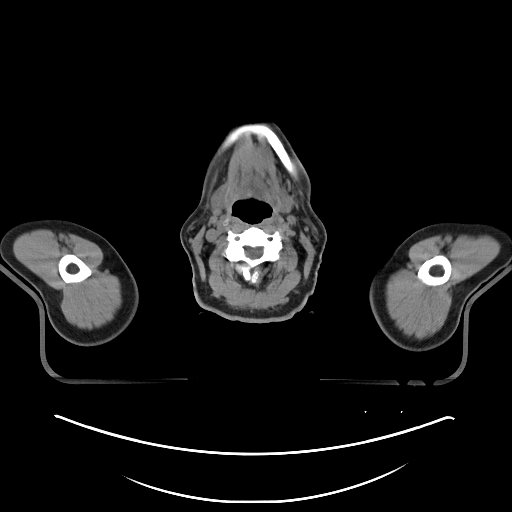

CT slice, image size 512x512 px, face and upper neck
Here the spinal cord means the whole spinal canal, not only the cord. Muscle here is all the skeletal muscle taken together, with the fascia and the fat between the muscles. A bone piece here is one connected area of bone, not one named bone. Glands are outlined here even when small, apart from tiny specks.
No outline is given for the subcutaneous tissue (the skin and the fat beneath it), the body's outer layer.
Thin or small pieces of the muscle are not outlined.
The left arm is outlined by 441,221 479,221 492,223 501,227 511,236 511,261 492,278 479,285 478,288 471,293 463,304 462,313 455,332 446,342 436,348 423,352 402,349 392,343 376,323 368,301 369,285 380,265 404,239 424,226. The submandibular glands appear in 2 outlined pieces: piece 1: 224,183 226,183 229,186 229,193 228,194 228,201 227,202 226,205 225,205 223,207 222,207 221,208 221,209 218,209 217,210 212,209 212,208 210,205 210,197 211,196 212,193 218,188 219,188; piece 2: 282,186 283,187 283,188 287,192 287,193 290,196 290,197 292,199 292,208 291,209 291,210 288,212 283,212 282,211 279,211 277,209 277,200 278,199 278,197 279,196 279,193 280,192 280,189. The head and neck is outlined by 250,118 268,119 281,128 309,176 312,186 311,205 327,233 313,293 304,306 290,319 265,324 245,323 223,318 203,309 197,303 192,285 191,266 179,236 183,222 200,199 202,179 210,156 230,126 240,120 with a hole at 242,200 256,200 259,202 263,202 270,206 271,208 271,213 269,216 267,217 264,217 263,219 255,223 250,223 247,221 244,221 242,219 241,219 236,215 234,215 232,213 232,206 235,203 235,202 241,201. The right arm is outlined by 48,218 63,219 75,222 100,234 117,250 131,270 139,291 139,304 131,323 114,339 100,345 93,346 79,345 66,340 57,333 50,323 43,299 39,293 14,270 12,270 0,257 0,239 6,231 21,222. The bones appear in 4 outlined pieces: piece 1: 253,224 268,233 278,230 282,237 282,248 279,252 279,258 275,261 267,261 260,264 258,266 259,275 254,283 245,280 242,273 237,269 239,261 230,261 223,255 227,244 227,231 231,230 234,233 240,233; inner edge: 245,246 248,246 249,247 251,247 252,248 254,248 255,247 262,247 262,254 259,257 258,257 257,258 250,258 248,256 247,256 246,255 246,254 245,253 245,250 244,249 244,247; piece 2: 246,123 263,123 270,127 276,133 282,142 290,157 291,161 294,165 295,168 295,177 290,175 282,164 272,147 264,137 258,137 255,134 252,133 249,135 242,135 227,148 220,150 221,145 226,136 236,127; piece 3: 436,255 444,255 446,257 447,257 451,264 451,267 452,269 451,270 450,276 448,280 446,282 442,284 440,284 439,285 431,286 430,285 427,285 423,283 417,277 417,272 418,271 419,267 423,262; piece 4: 67,253 74,254 77,257 82,260 90,268 90,269 92,271 91,274 88,277 87,277 80,282 71,282 70,283 66,283 62,279 59,273 59,270 58,269 58,262 59,261 59,259 64,254 66,254. The spinal cord is outlined by 245,246 248,246 249,247 251,247 252,248 254,248 255,247 262,247 262,254 259,257 258,257 257,258 250,258 248,256 247,256 246,255 246,254 245,253 245,250 244,249 244,247. The muscle appears in 3 outlined pieces: piece 1: 252,134 266,140 283,167 293,178 296,177 296,168 290,155 294,159 301,175 307,215 317,228 319,241 308,278 300,292 280,309 251,312 233,309 208,296 200,279 186,231 202,213 219,152 227,149 240,137, around a hole outlined by 242,200 256,200 269,205 270,215 253,224 268,233 278,230 282,237 279,258 260,264 259,275 254,283 245,280 237,269 239,261 230,261 223,255 227,244 227,231 240,233 253,224 232,213 232,206 235,202; piece 2: 441,233 487,234 499,241 501,244 500,252 485,267 472,276 463,280 459,284 454,293 447,318 438,331 433,335 422,339 406,336 394,325 394,322 389,317 386,311 383,294 385,281 389,273 411,245 422,239, around a hole outlined by 436,255 444,255 446,257 447,257 451,264 451,267 452,269 451,270 450,276 448,280 446,282 442,284 440,284 439,285 431,286 430,285 427,285 423,283 417,277 417,272 418,271 419,267 423,262; piece 3: 37,228 46,228 58,232 73,233 96,243 101,248 104,255 119,276 122,283 123,303 111,321 101,327 89,330 88,329 80,329 71,325 64,318 60,310 59,303 43,281 16,259 12,252 13,240 19,234; inner edge: 67,253 74,254 77,257 82,260 90,268 90,269 92,271 91,274 88,277 87,277 80,282 71,282 70,283 66,283 62,279 59,273 59,270 58,269 58,262 59,261 59,259 64,254 66,254.